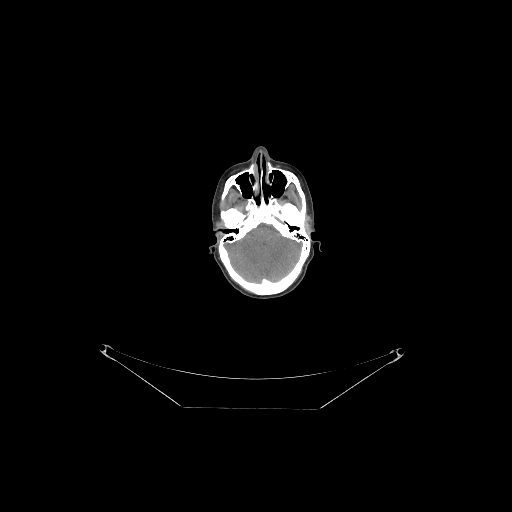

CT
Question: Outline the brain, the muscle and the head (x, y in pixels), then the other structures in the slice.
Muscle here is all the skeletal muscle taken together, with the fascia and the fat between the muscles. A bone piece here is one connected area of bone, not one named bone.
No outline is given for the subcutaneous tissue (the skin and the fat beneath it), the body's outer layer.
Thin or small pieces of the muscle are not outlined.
Answer: {"brain":[[[261,224],[271,226],[283,237],[290,239],[299,244],[299,253],[297,259],[292,267],[285,274],[275,280],[270,279],[267,277],[262,277],[259,281],[247,279],[234,267],[231,261],[229,251],[227,248],[228,245],[233,244],[242,239],[249,232],[255,229]]],"muscle":[[[231,187],[234,187],[238,192],[238,194],[241,197],[243,196],[245,198],[246,200],[244,205],[245,212],[236,206],[231,206],[226,209],[221,208],[219,210],[219,217],[223,224],[222,227],[220,227],[216,224],[218,217],[219,199],[220,203],[222,204]],[[291,184],[293,184],[294,185],[294,187],[295,188],[295,189],[300,198],[300,201],[301,202],[301,205],[300,206],[300,207],[297,206],[294,203],[293,203],[288,200],[285,200],[282,202],[281,202],[280,201],[280,199],[285,193],[286,190]]],"head":[{"outer":[[258,145],[265,146],[272,158],[298,168],[305,177],[314,208],[316,229],[311,237],[320,241],[322,249],[319,251],[315,244],[314,257],[300,285],[285,297],[272,300],[253,300],[235,291],[208,252],[216,241],[211,203],[218,179],[231,165],[247,160]],"holes":[[[273,172],[279,172],[279,173],[281,174],[281,175],[283,177],[283,179],[284,180],[283,191],[282,193],[278,196],[275,196],[272,193],[270,193],[269,192],[266,195],[266,197],[264,186],[270,188],[273,185],[273,183],[275,179],[275,176],[273,174]],[[245,174],[246,174],[247,175],[247,181],[249,183],[249,184],[250,185],[250,187],[251,188],[251,194],[248,197],[245,197],[243,195],[243,192],[242,191],[242,188],[241,187],[241,185],[240,184],[240,183],[238,181],[239,178],[240,177],[243,176]]]}],"bones":[{"outer":[[260,157],[264,165],[265,160],[297,176],[310,236],[310,251],[297,278],[283,291],[261,295],[236,283],[218,253],[224,224],[220,210],[236,207],[245,213],[246,198],[252,194],[245,173],[237,180],[242,196],[231,186],[221,203],[225,181]],"holes":[[[261,224],[271,226],[283,237],[290,239],[299,244],[299,253],[297,259],[292,267],[285,274],[275,280],[270,279],[267,277],[262,277],[259,281],[247,279],[234,267],[231,261],[229,251],[227,248],[228,245],[233,244],[242,239],[249,232],[255,229]],[[273,172],[279,172],[279,173],[281,174],[281,175],[283,177],[283,179],[284,180],[283,191],[282,193],[278,196],[275,196],[272,193],[270,193],[269,192],[266,195],[266,197],[264,186],[270,188],[273,185],[273,183],[275,179],[275,176],[273,174]],[[291,184],[293,184],[294,185],[294,187],[295,188],[295,189],[300,198],[300,201],[301,202],[301,205],[300,206],[300,207],[297,206],[294,203],[293,203],[288,200],[285,200],[282,202],[281,202],[280,201],[280,199],[285,193],[286,190]]]}]}